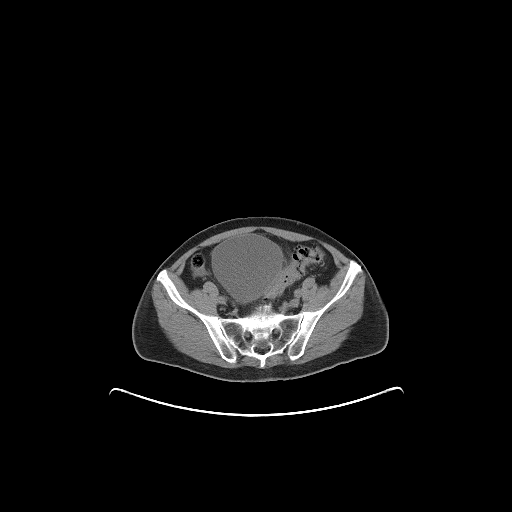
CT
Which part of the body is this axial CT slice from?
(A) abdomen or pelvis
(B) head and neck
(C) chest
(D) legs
(A) abdomen or pelvis
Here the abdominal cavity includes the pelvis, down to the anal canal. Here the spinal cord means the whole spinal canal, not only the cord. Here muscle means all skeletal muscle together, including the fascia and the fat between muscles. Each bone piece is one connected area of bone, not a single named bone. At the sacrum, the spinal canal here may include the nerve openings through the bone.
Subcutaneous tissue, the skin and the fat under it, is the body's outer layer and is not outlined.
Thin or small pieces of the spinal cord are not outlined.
The abdominal cavity is outlined by [[256,230],[292,242],[314,241],[331,254],[337,270],[327,284],[320,284],[313,276],[301,281],[303,303],[296,313],[275,311],[269,302],[256,305],[243,316],[220,316],[217,310],[220,292],[216,284],[205,281],[202,287],[190,289],[180,275],[194,252]]. The spinal cord appears in 2 outlined pieces: piece 1: [[257,346],[268,346],[269,347],[269,348],[265,352],[264,352],[263,353],[260,353],[259,352],[258,352],[257,351],[255,351],[254,350],[254,348],[255,347],[256,347]]; piece 2: [[274,329],[275,329],[276,329],[277,329],[278,330],[279,331],[279,332],[279,333],[279,334],[278,335],[277,336],[276,336],[275,336],[274,336],[273,335],[273,334],[272,333],[272,332],[272,331],[273,330]]. The torso is outlined by [[260,215],[288,217],[314,225],[335,237],[363,261],[387,308],[389,337],[385,348],[377,354],[342,363],[333,368],[305,377],[264,382],[223,381],[179,367],[141,358],[136,353],[132,343],[132,319],[139,297],[159,264],[183,241],[212,224],[235,217]]. The bones are outlined by [[351,259],[362,271],[320,316],[303,354],[294,360],[285,351],[271,355],[262,368],[257,358],[248,355],[239,354],[234,363],[223,359],[203,322],[176,304],[156,279],[165,269],[180,295],[207,315],[243,317],[269,303],[273,311],[291,315],[328,302]], around holes outlined by [[257,346],[268,346],[269,347],[269,348],[265,352],[264,352],[263,353],[260,353],[259,352],[258,352],[257,351],[255,351],[254,350],[254,348],[255,347],[256,347]] and by [[274,329],[275,329],[276,329],[277,329],[278,330],[279,331],[279,332],[279,333],[279,334],[278,335],[277,336],[276,336],[275,336],[274,336],[273,335],[273,334],[272,333],[272,332],[272,331],[273,330]]. The muscle appears in 3 outlined pieces: piece 1: [[246,226],[268,226],[312,236],[332,245],[349,258],[347,269],[332,297],[317,309],[302,310],[304,303],[302,281],[313,277],[320,285],[327,285],[338,270],[332,254],[325,247],[314,240],[292,241],[256,229],[232,235],[204,246],[194,251],[186,259],[179,275],[185,285],[192,290],[197,287],[202,288],[205,282],[212,282],[219,292],[216,305],[218,315],[201,312],[191,305],[181,295],[166,268],[205,239],[227,230]]; piece 2: [[155,280],[162,285],[169,298],[176,305],[189,311],[202,322],[220,357],[223,360],[234,364],[237,361],[239,355],[248,356],[257,359],[259,361],[260,368],[253,366],[226,368],[199,361],[178,351],[166,338],[157,321],[157,315],[151,297],[151,290]]; piece 3: [[363,271],[365,274],[363,314],[361,318],[353,325],[348,338],[337,349],[304,363],[292,365],[280,364],[263,368],[265,367],[267,358],[277,354],[282,354],[284,352],[291,361],[294,361],[300,358],[304,354],[307,343],[321,316],[348,291],[356,276]].